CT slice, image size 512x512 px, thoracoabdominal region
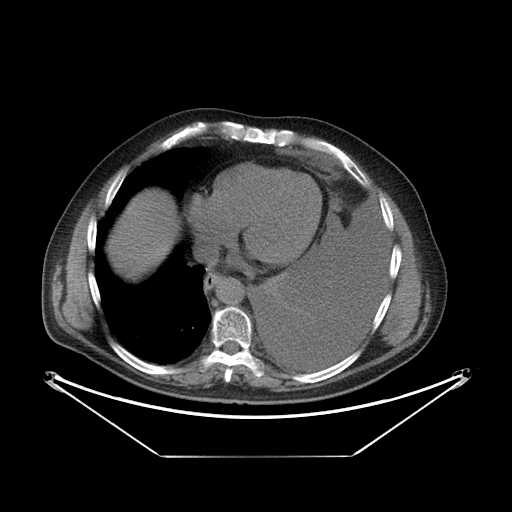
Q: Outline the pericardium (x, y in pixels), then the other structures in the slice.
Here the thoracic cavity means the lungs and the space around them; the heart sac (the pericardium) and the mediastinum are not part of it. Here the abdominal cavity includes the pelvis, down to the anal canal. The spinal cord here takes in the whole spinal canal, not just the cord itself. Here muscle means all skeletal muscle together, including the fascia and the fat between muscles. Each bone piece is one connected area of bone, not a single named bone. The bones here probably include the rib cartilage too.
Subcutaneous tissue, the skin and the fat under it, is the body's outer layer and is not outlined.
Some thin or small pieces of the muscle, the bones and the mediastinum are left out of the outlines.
A: Outlines:
pericardium: 250 154; 280 156; 302 164; 317 174; 326 189; 328 198; 326 219; 312 247; 281 273; 272 271; 253 278; 239 271; 225 269; 220 265; 213 266; 198 261; 194 255; 194 242; 188 232; 184 215; 188 196; 206 183; 210 171; 218 163
spinal cord: 227 341; 234 341; 235 342; 236 342; 239 345; 239 346; 240 347; 240 349; 237 352; 236 352; 235 353; 234 353; 233 354; 229 354; 228 353; 227 353; 226 352; 225 352; 222 349; 222 346; 224 344; 224 343; 225 342; 226 342
abdominal cavity: 155 184; 171 190; 180 202; 183 199; 183 196; 183 215; 185 217; 187 229; 185 230; 185 237; 183 240; 173 248; 167 259; 153 275; 139 285; 130 285; 122 281; 111 270; 104 252; 104 244; 116 216; 122 210; 128 200; 145 186
torso: 194 107; 322 119; 369 143; 409 178; 426 210; 448 279; 442 319; 430 341; 416 356; 379 380; 338 396; 285 404; 237 404; 190 400; 142 388; 58 345; 48 336; 41 315; 43 258; 52 231; 70 198; 93 167; 117 145; 161 117
mediastinum 1: 197 136; 220 137; 278 147; 299 146; 327 154; 365 188; 370 196; 355 186; 331 179; 285 156; 250 153; 229 157; 218 162; 209 171; 205 183; 189 193; 185 204; 184 193; 191 166; 200 158; 201 150; 199 147; 172 148; 182 141
mediastinum 2: 186 230; 193 242; 193 255; 198 262; 239 272; 250 279; 272 272; 280 272; 259 288; 253 306; 253 323; 245 311; 234 305; 216 308; 211 314; 203 287; 205 267; 200 264; 190 265; 186 259; 188 251; 188 242; 184 240
bones 1: 227 306; 241 309; 251 320; 252 346; 250 350; 264 363; 261 376; 255 376; 243 364; 232 367; 231 377; 228 382; 224 380; 226 366; 223 363; 215 362; 204 371; 199 370; 200 357; 213 348; 208 340; 211 315; 216 309, around a hole outlined by 227 341; 234 341; 235 342; 236 342; 239 345; 239 346; 240 347; 240 349; 237 352; 236 352; 235 353; 234 353; 233 354; 229 354; 228 353; 227 353; 226 352; 225 352; 222 349; 222 346; 224 344; 224 343; 225 342; 226 342
bones 2: 223 120; 241 123; 245 126; 254 126; 262 130; 270 128; 289 129; 293 130; 299 137; 329 142; 341 149; 355 163; 366 177; 369 185; 367 187; 361 185; 335 157; 303 147; 297 142; 291 145; 278 146; 225 138; 218 131; 219 123
bones 3: 109 338; 119 343; 126 350; 134 356; 145 362; 151 363; 152 364; 156 364; 157 365; 173 366; 176 368; 180 368; 184 370; 172 374; 149 374; 143 371; 141 371; 122 359; 112 349; 108 343; 108 339
bones 4: 359 349; 361 349; 361 353; 357 359; 356 359; 349 366; 340 372; 330 377; 311 383; 304 383; 303 382; 300 382; 297 380; 294 380; 291 378; 292 375; 297 373; 313 373; 328 368; 338 363; 353 352
bones 5: 196 121; 202 121; 204 122; 209 127; 209 129; 206 133; 187 138; 184 140; 180 141; 177 144; 174 145; 171 148; 167 150; 159 151; 158 147; 159 145; 164 140; 165 140; 168 137; 171 136; 173 134; 181 131; 186 126; 190 125
bones 6: 124 167; 127 167; 128 168; 127 175; 123 180; 118 190; 116 192; 110 205; 106 209; 105 209; 104 207; 104 205; 105 204; 105 198; 106 197; 106 194; 107 193; 107 191; 112 181; 116 176; 117 173; 122 168
bones 7: 380 192; 381 192; 384 195; 386 200; 389 204; 389 206; 392 212; 392 216; 393 217; 393 229; 391 231; 387 229; 384 223; 383 218; 382 217; 382 214; 381 213; 381 209; 380 208; 380 204; 379 203; 379 193
bones 8: 389 292; 391 293; 391 299; 389 302; 389 305; 387 308; 387 310; 382 320; 380 322; 377 328; 374 331; 374 332; 372 332; 371 331; 372 330; 372 322; 375 316; 375 314; 383 298; 385 296; 385 295
bones 9: 395 244; 397 244; 399 246; 401 250; 401 260; 400 261; 400 264; 399 265; 399 268; 398 269; 397 274; 395 278; 394 279; 392 279; 390 278; 389 276; 389 264; 390 263; 390 258; 391 257; 391 252; 392 251; 392 248
bones 10: 92 215; 94 215; 95 216; 95 217; 97 220; 97 231; 96 232; 96 237; 95 238; 95 250; 93 253; 91 253; 89 251; 89 250; 88 249; 88 245; 87 244; 87 226; 88 225; 88 222; 89 221; 89 219; 90 218; 90 217
bones 11: 90 270; 92 271; 94 274; 94 276; 96 280; 96 283; 97 284; 97 286; 99 290; 99 294; 100 295; 100 309; 97 309; 93 301; 93 299; 91 295; 91 292; 90 291; 90 288; 89 287; 89 282; 88 281; 88 272
thoracic cavity 1: 317 173; 336 182; 355 187; 369 198; 374 195; 387 230; 391 251; 385 294; 374 314; 371 326; 356 349; 323 369; 313 372; 296 372; 274 363; 262 351; 258 340; 253 335; 254 306; 260 288; 299 261; 313 247; 327 219; 328 192
thoracic cavity 2: 180 148; 200 150; 190 166; 182 199; 163 185; 145 185; 115 216; 103 244; 110 270; 130 286; 153 276; 183 241; 187 263; 204 267; 208 338; 189 357; 157 364; 126 349; 108 325; 94 273; 96 238; 98 221; 126 177; 150 158
muscle 1: 345 152; 391 197; 409 227; 421 264; 422 282; 426 280; 430 289; 431 312; 423 333; 416 342; 384 361; 318 387; 271 391; 265 387; 244 387; 229 383; 233 367; 237 365; 247 367; 255 377; 264 374; 264 361; 251 350; 253 336; 261 351; 274 364; 296 373; 290 376; 291 379; 311 384; 340 373; 357 360; 362 353; 362 349; 357 348; 368 330; 371 327; 370 331; 374 333; 383 320; 392 299; 392 293; 386 293; 388 279; 389 277; 394 280; 398 274; 402 250; 397 243; 392 247; 390 245; 388 230; 391 232; 394 229; 394 217; 385 195; 380 191; 378 202; 375 194; 371 195; 368 192; 366 188; 370 183; 367 177
muscle 2: 192 122; 164 139; 159 152; 128 174; 129 168; 127 166; 122 167; 116 173; 106 191; 103 216; 98 220; 92 214; 86 226; 87 249; 94 253; 94 272; 87 272; 90 295; 117 341; 109 337; 107 343; 141 372; 172 375; 185 370; 168 364; 189 358; 208 341; 212 348; 199 357; 198 370; 223 364; 226 383; 187 388; 147 379; 87 346; 58 325; 50 297; 55 264; 66 257; 74 226; 88 201; 116 171; 152 142
muscle 3: 203 121; 209 121; 210 122; 212 122; 213 121; 220 121; 218 123; 218 126; 217 127; 217 131; 223 137; 221 137; 220 136; 208 136; 207 135; 201 135; 203 135; 204 134; 206 134; 209 131; 209 130; 210 129; 210 127; 204 121